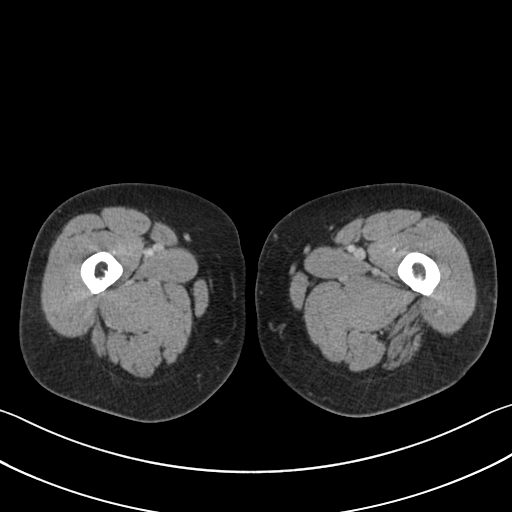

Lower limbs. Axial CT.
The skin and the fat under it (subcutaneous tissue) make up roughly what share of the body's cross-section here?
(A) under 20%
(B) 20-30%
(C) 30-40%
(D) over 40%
(D) over 40%
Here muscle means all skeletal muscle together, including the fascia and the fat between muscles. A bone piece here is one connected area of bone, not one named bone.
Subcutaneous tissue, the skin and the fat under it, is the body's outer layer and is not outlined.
muscle 1: 394 206; 419 206; 425 208; 437 213; 459 229; 474 274; 477 289; 476 307; 461 331; 447 338; 425 338; 413 359; 394 374; 372 380; 345 377; 323 365; 308 347; 286 294; 287 277; 293 263; 304 249; 348 217; 361 212; 381 210 with a hole at 411 251; 418 251; 429 256; 435 261; 440 270; 440 280; 438 284; 433 290; 431 295; 429 296; 423 295; 421 293; 413 290; 408 285; 407 285; 403 281; 401 280; 397 273; 397 267; 398 265; 400 263; 404 256; 408 252; 410 252
muscle 2: 107 204; 130 204; 153 213; 185 239; 206 267; 211 286; 208 316; 189 359; 180 371; 166 379; 135 384; 111 375; 96 360; 87 342; 78 338; 63 337; 54 332; 41 310; 39 296; 41 280; 49 249; 56 236; 73 216; 90 207, around a hole outlined by 98 251; 107 251; 111 253; 121 264; 123 268; 123 271; 121 275; 118 278; 118 279; 117 279; 112 284; 111 284; 104 290; 98 293; 92 294; 90 293; 90 291; 81 279; 81 277; 80 276; 80 267; 81 266; 82 262; 87 257
right leg: 120 182; 169 185; 188 190; 212 201; 234 222; 246 265; 245 338; 233 371; 221 387; 197 408; 180 417; 162 422; 147 423; 126 419; 50 392; 29 373; 19 347; 18 322; 22 287; 30 250; 41 224; 60 203; 69 197; 89 188
bones 1: 411 251; 418 251; 429 256; 435 261; 440 270; 440 280; 438 284; 433 290; 431 295; 429 296; 423 295; 421 293; 413 290; 408 285; 407 285; 403 281; 401 280; 397 273; 397 267; 398 265; 400 263; 404 256; 408 252; 410 252
bones 2: 98 251; 107 251; 111 253; 121 264; 123 268; 123 271; 121 275; 118 278; 118 279; 117 279; 112 284; 111 284; 104 290; 98 293; 92 294; 90 293; 90 291; 81 279; 81 277; 80 276; 80 267; 81 266; 82 262; 87 257
left leg: 385 182; 417 183; 445 190; 462 199; 478 214; 489 232; 496 257; 496 313; 492 333; 484 351; 455 384; 427 398; 385 413; 349 417; 325 410; 300 396; 278 377; 264 358; 256 333; 254 306; 257 262; 268 233; 292 209; 327 193